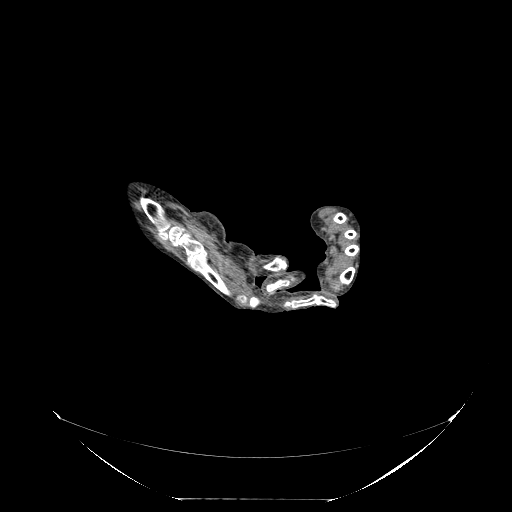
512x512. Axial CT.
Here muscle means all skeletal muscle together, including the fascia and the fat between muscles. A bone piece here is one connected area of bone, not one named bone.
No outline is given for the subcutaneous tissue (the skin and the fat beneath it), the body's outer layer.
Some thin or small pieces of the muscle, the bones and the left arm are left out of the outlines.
The bones appear in 9 outlined pieces: piece 1: (142, 195) (158, 202) (164, 209) (165, 218) (172, 225) (184, 227) (192, 238) (203, 245) (207, 251) (208, 263) (221, 276) (231, 296) (223, 294) (201, 274) (194, 271) (186, 263) (187, 256) (181, 247) (173, 246) (167, 240) (164, 244) (158, 240) (156, 227) (139, 202); piece 2: (313, 292) (316, 292) (319, 295) (323, 295) (328, 298) (331, 298) (336, 300) (337, 305) (335, 307) (329, 307) (328, 306) (319, 305) (318, 306) (301, 307) (295, 309) (284, 309) (283, 307) (284, 301) (292, 297) (295, 298) (298, 298) (299, 297) (307, 298) (309, 297); piece 3: (291, 276) (293, 276) (295, 278) (295, 281) (291, 284) (290, 287) (289, 287) (287, 290) (286, 289) (282, 289) (278, 291) (277, 293) (269, 296) (263, 295) (260, 288) (262, 286) (262, 284) (264, 281) (265, 284) (268, 282) (271, 282) (279, 277) (287, 277) (288, 278); piece 4: (239, 294) (245, 294) (247, 296) (250, 296) (251, 295) (254, 294) (259, 297) (259, 298) (261, 301) (261, 303) (258, 306) (258, 307) (257, 307) (256, 308) (250, 308) (249, 307) (239, 307) (237, 305) (237, 303) (235, 300) (235, 297) (237, 295) (238, 295); piece 5: (276, 256) (281, 256) (286, 259) (286, 260) (287, 261) (287, 268) (285, 270) (280, 270) (277, 272) (273, 272) (272, 271) (270, 271) (269, 270) (267, 270) (266, 269) (264, 269) (263, 268) (262, 268) (262, 265) (264, 263) (266, 263) (269, 261) (271, 261); piece 6: (351, 266) (354, 267) (356, 269) (355, 270) (355, 272) (354, 273) (354, 275) (353, 276) (353, 278) (351, 280) (351, 281) (348, 284) (342, 284) (340, 282) (340, 279) (339, 278) (339, 276) (340, 275) (340, 274) (344, 270) (345, 270) (347, 268) (348, 268); piece 7: (354, 243) (355, 243) (356, 244) (358, 244) (359, 245) (359, 251) (358, 252) (358, 253) (357, 253) (355, 255) (348, 255) (346, 253) (346, 249) (350, 245) (351, 245) (352, 244) (353, 244); piece 8: (338, 212) (342, 212) (343, 213) (344, 213) (346, 215) (346, 216) (347, 217) (347, 219) (344, 222) (343, 222) (342, 223) (337, 223) (336, 222) (335, 222) (333, 220) (333, 217) (334, 216) (334, 215) (336, 213) (337, 213); piece 9: (349, 229) (354, 229) (359, 234) (359, 236) (358, 236) (357, 237) (356, 237) (355, 238) (354, 238) (353, 239) (349, 239) (348, 238) (347, 238) (345, 236) (345, 233) (346, 232) (346, 231) (347, 230) (348, 230). The left arm appears in 2 outlined pieces: piece 1: (330, 204) (339, 205) (350, 209) (357, 219) (360, 226) (360, 231) (359, 232) (360, 261) (357, 277) (350, 289) (347, 292) (339, 296) (320, 289) (320, 285) (316, 273) (316, 265) (325, 257) (326, 244) (315, 233) (310, 224) (310, 217) (312, 212) (320, 206); piece 2: (286, 269) (287, 270) (293, 270) (294, 269) (300, 269) (303, 270) (305, 272) (306, 275) (305, 278) (300, 283) (297, 285) (289, 287) (287, 289) (287, 291) (283, 291) (282, 292) (265, 292) (261, 288) (262, 284) (266, 278) (264, 276) (268, 274) (283, 271). The muscle appears in 3 outlined pieces: piece 1: (139, 188) (155, 191) (179, 206) (184, 212) (215, 232) (224, 246) (232, 253) (241, 256) (252, 255) (262, 259) (273, 258) (264, 262) (261, 265) (262, 269) (273, 273) (285, 271) (302, 276) (303, 280) (291, 287) (296, 281) (293, 275) (288, 277) (279, 276) (265, 283) (266, 278) (263, 275) (252, 276) (249, 278) (249, 285) (254, 288) (255, 294) (239, 293) (234, 297) (236, 303) (234, 304) (225, 296) (231, 297) (232, 292) (222, 276) (209, 263) (208, 251) (204, 245) (192, 237) (184, 226) (172, 224) (166, 218) (165, 209) (158, 201) (142, 194) (138, 197) (138, 202) (148, 220) (155, 227) (157, 240) (163, 245) (167, 241) (173, 247) (181, 248) (186, 260) (185, 263) (155, 241) (136, 209) (134, 197) (136, 190); piece 2: (325, 208) (337, 208) (351, 214) (359, 230) (359, 233) (349, 228) (344, 233) (349, 240) (358, 237) (359, 244) (354, 242) (345, 249) (348, 256) (357, 254) (357, 265) (339, 274) (339, 282) (345, 285) (340, 292) (330, 286) (324, 275) (329, 264) (330, 242) (319, 213); inner edge: (338, 212) (342, 212) (343, 213) (344, 213) (346, 215) (346, 216) (347, 217) (347, 219) (344, 222) (343, 222) (342, 223) (337, 223) (336, 222) (335, 222) (333, 220) (333, 217) (334, 216) (334, 215) (336, 213) (337, 213); piece 3: (257, 295) (259, 295) (262, 297) (271, 297) (272, 296) (275, 296) (276, 297) (279, 297) (280, 296) (290, 296) (291, 297) (284, 300) (282, 303) (282, 307) (283, 308) (280, 308) (279, 307) (271, 307) (265, 304) (261, 304) (262, 303) (262, 301) (260, 297) (258, 295). The right arm is outlined by (133, 180) (147, 182) (167, 191) (192, 211) (212, 213) (221, 222) (228, 240) (242, 242) (256, 253) (283, 256) (287, 260) (287, 267) (257, 276) (254, 279) (256, 288) (265, 293) (320, 290) (338, 296) (337, 305) (266, 311) (230, 303) (148, 241) (126, 200) (124, 186).